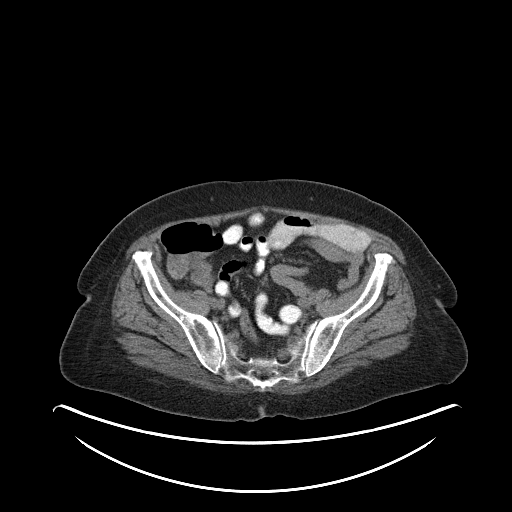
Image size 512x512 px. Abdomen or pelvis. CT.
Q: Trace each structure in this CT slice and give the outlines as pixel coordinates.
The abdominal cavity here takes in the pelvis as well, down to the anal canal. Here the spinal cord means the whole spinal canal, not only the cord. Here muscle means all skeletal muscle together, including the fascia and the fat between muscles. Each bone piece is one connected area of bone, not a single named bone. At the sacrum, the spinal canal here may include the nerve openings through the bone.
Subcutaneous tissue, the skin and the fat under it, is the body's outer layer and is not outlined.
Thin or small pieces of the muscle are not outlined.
A: {"abdominal_cavity":[[[259,210],[349,224],[363,230],[373,240],[359,283],[338,295],[320,288],[314,305],[321,318],[312,321],[301,337],[277,356],[240,353],[220,324],[206,316],[210,305],[205,291],[173,287],[162,270],[157,243],[160,232],[173,224],[186,221],[213,224]]],"torso":[[[272,178],[309,179],[353,190],[388,207],[414,229],[457,290],[457,302],[447,312],[463,335],[468,362],[453,382],[329,416],[219,421],[160,411],[76,386],[63,377],[59,349],[84,300],[77,290],[78,276],[123,217],[143,203],[184,186],[219,179]]],"muscle":[{"outer":[[257,205],[267,205],[274,207],[288,208],[289,209],[301,210],[302,211],[317,213],[322,215],[343,218],[353,221],[356,223],[365,225],[390,237],[400,247],[405,256],[407,264],[404,267],[404,269],[413,292],[415,300],[415,305],[417,310],[416,318],[413,322],[413,333],[410,338],[410,344],[408,347],[397,354],[392,355],[389,357],[386,357],[383,359],[374,360],[370,364],[366,366],[357,367],[352,371],[345,375],[341,376],[324,386],[312,389],[307,392],[296,393],[295,394],[280,394],[275,392],[268,392],[267,391],[265,392],[247,392],[246,393],[239,393],[238,394],[228,394],[227,393],[216,392],[198,387],[194,384],[190,384],[187,381],[181,380],[169,375],[162,374],[155,370],[142,367],[133,363],[126,358],[125,356],[126,353],[121,348],[120,344],[114,338],[117,333],[115,330],[115,327],[112,324],[111,302],[116,284],[127,264],[125,260],[125,253],[129,246],[136,239],[149,230],[167,222],[183,220],[188,218],[220,214],[231,211],[236,211]],"hole":[[259,210],[349,224],[373,240],[355,287],[338,295],[318,290],[321,318],[358,298],[374,254],[395,260],[377,299],[345,327],[318,372],[263,391],[201,364],[132,259],[137,250],[152,251],[168,296],[206,316],[206,292],[175,289],[164,274],[160,232]]}],"spinal_cord":[[[287,350],[287,357],[286,357],[284,359],[278,359],[278,358],[277,357],[279,355],[279,353],[280,352],[281,352],[282,351],[286,351]],[[264,373],[266,373],[267,374],[269,374],[270,375],[271,375],[269,377],[268,377],[267,378],[265,378],[264,379],[261,379],[260,378],[259,378],[258,377],[257,377],[256,376],[256,374],[263,374]],[[240,354],[241,354],[242,354],[243,355],[244,355],[245,355],[246,355],[247,355],[248,355],[249,356],[248,357],[247,358],[246,358],[245,358],[244,358],[243,357],[242,357],[242,356],[241,355]]],"bones":[{"outer":[[137,250],[152,251],[168,296],[216,321],[225,343],[234,343],[244,359],[284,360],[312,322],[358,298],[374,254],[386,252],[395,261],[377,299],[345,327],[318,372],[262,391],[245,378],[228,382],[222,371],[201,364],[182,327],[148,292],[132,259]],"hole":[[264,373],[266,373],[267,374],[269,374],[270,375],[271,375],[269,377],[268,377],[267,378],[265,378],[264,379],[261,379],[260,378],[259,378],[258,377],[257,377],[256,376],[256,374],[263,374]]}]}